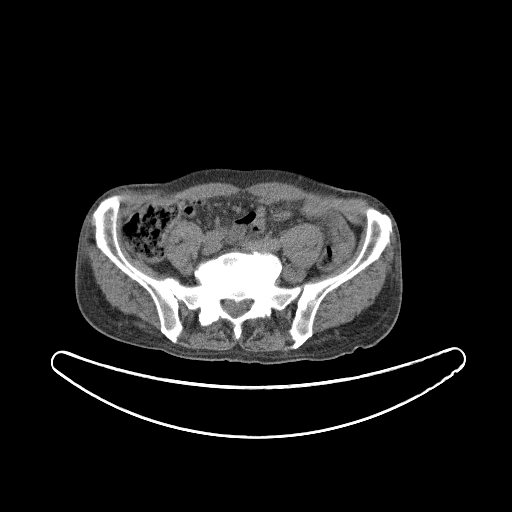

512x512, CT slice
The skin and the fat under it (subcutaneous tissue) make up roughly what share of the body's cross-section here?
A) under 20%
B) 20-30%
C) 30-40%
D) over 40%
Answer: B) 20-30%
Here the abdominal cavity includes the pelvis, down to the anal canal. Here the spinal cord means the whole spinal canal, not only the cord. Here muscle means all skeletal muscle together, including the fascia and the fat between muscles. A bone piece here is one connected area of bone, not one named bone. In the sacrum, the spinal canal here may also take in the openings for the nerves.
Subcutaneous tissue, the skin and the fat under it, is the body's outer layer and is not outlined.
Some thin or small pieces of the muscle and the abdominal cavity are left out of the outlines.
{"abdominal_cavity":[[[242,191],[313,199],[359,227],[353,255],[332,271],[305,280],[324,244],[320,227],[308,222],[281,234],[283,264],[276,254],[253,249],[222,252],[196,266],[203,234],[181,221],[164,258],[184,277],[193,272],[192,285],[128,252],[120,229],[142,203]]],"torso":[[[209,167],[291,170],[337,187],[363,191],[381,200],[397,222],[402,250],[402,303],[390,332],[372,347],[358,347],[352,353],[334,359],[261,364],[182,358],[124,343],[94,329],[81,315],[74,295],[78,234],[90,205],[104,191],[119,184],[163,181]]],"muscle":[[[272,181],[293,184],[306,191],[323,195],[332,195],[340,198],[362,198],[375,204],[380,209],[373,206],[368,206],[365,209],[365,234],[361,248],[354,260],[347,267],[332,276],[317,281],[308,280],[315,276],[328,274],[349,261],[358,247],[362,229],[354,224],[341,211],[321,201],[307,197],[299,199],[267,197],[250,194],[242,190],[229,195],[186,199],[151,198],[142,202],[129,213],[119,229],[127,252],[132,258],[141,260],[157,272],[175,274],[178,278],[172,275],[163,278],[155,278],[148,275],[132,264],[124,255],[120,247],[117,222],[123,196],[118,193],[110,194],[115,191],[129,189],[140,191],[156,190],[171,193],[208,182],[224,182],[244,188],[256,183]],[[295,300],[288,329],[292,340],[289,347],[292,351],[255,353],[234,347],[220,352],[176,344],[184,328],[179,315],[179,301],[189,310],[198,310],[197,320],[202,327],[219,319],[230,322],[234,338],[238,340],[245,321],[269,318],[273,310],[283,310]],[[393,226],[396,244],[394,258],[390,264],[384,286],[375,298],[374,302],[350,322],[340,327],[339,337],[330,338],[324,342],[313,346],[296,349],[299,348],[313,335],[315,318],[324,298],[330,292],[353,278],[381,256],[385,248],[391,241]],[[91,214],[91,224],[94,227],[93,238],[95,245],[123,273],[135,281],[148,293],[155,307],[159,321],[159,330],[169,340],[147,333],[132,325],[122,317],[106,300],[99,286],[95,282],[88,257],[84,252],[83,248],[84,246],[83,238],[85,227]],[[303,223],[313,224],[319,227],[323,235],[323,244],[317,260],[307,270],[304,277],[305,281],[303,283],[293,286],[280,285],[277,283],[277,280],[282,272],[284,263],[287,263],[289,261],[285,257],[284,258],[282,254],[280,238],[282,234],[289,228]],[[181,222],[191,222],[195,224],[199,228],[202,234],[201,241],[199,244],[199,247],[197,250],[197,254],[194,260],[195,268],[193,270],[192,274],[190,276],[184,276],[176,270],[173,269],[169,265],[165,258],[165,247],[167,244],[167,240],[174,228]]],"bones":[{"outer":[[114,194],[126,259],[190,286],[200,262],[253,250],[279,258],[278,285],[317,282],[355,260],[368,207],[392,231],[376,260],[323,298],[299,347],[296,299],[245,320],[238,339],[230,321],[202,326],[179,300],[173,343],[149,293],[96,245],[92,214]],"hole":[[226,299],[228,299],[229,300],[232,300],[237,303],[238,302],[246,300],[248,302],[247,303],[248,304],[248,308],[247,310],[242,314],[238,315],[237,316],[233,316],[231,315],[225,309],[224,309],[223,307],[223,305],[222,304],[223,303],[222,302]]}],"spinal_cord":[[[226,299],[228,299],[229,300],[232,300],[237,303],[238,302],[246,300],[248,302],[247,303],[248,304],[248,308],[247,310],[242,314],[238,315],[237,316],[233,316],[231,315],[225,309],[224,309],[223,307],[223,305],[222,304],[223,303],[222,302]]]}